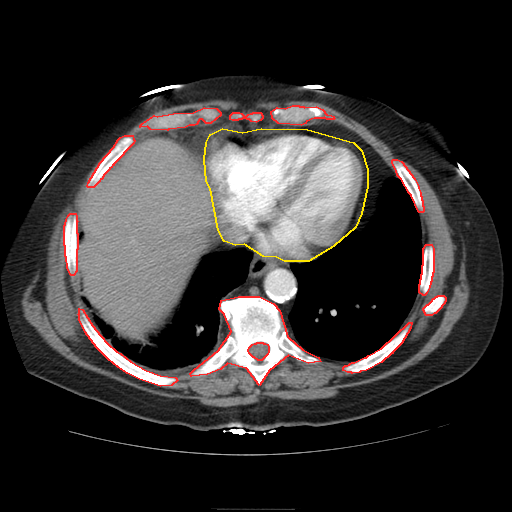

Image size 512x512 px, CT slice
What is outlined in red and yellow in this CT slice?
red: bones; yellow: pericardium.
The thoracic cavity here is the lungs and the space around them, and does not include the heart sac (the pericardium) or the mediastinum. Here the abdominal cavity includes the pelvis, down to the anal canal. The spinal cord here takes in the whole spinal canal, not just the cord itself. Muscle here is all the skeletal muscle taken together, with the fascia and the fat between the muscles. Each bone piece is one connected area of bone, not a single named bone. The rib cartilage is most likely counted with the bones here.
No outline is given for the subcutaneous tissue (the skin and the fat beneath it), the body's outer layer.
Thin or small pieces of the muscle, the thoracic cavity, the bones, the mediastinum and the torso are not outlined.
The bones appear in 11 outlined pieces: piece 1: 238,296 259,296 273,303 279,310 287,336 302,349 318,357 320,361 308,363 288,355 269,370 259,385 246,368 227,363 220,369 207,374 191,376 190,373 194,369 218,350 231,331 224,314 219,309 221,300, around a hole outlined by 257,342 262,342 263,343 265,343 267,344 268,346 268,352 267,354 261,360 258,360 254,357 253,357 249,353 248,351 248,349 249,347 252,344 254,343 256,343; piece 2: 79,308 82,309 92,325 100,335 107,343 116,351 120,353 130,361 146,370 160,375 175,377 177,380 171,385 160,386 139,379 127,373 118,367 108,359 96,347 85,332 79,319 79,315 78,314 79,313; piece 3: 204,107 216,108 220,112 220,115 210,123 206,123 202,119 199,119 196,124 194,125 189,125 185,127 168,129 167,130 150,129 147,126 140,127 140,125 142,123 154,115 157,116 173,113 193,112; piece 4: 292,105 298,105 299,106 303,106 304,107 316,106 322,109 326,114 331,115 333,116 334,118 333,119 327,119 324,117 323,118 314,118 306,121 305,123 301,125 278,123 272,118 271,111 277,107 285,108; piece 5: 409,322 411,322 410,328 401,343 392,352 392,353 391,353 381,362 366,370 360,371 359,372 352,373 351,372 347,372 343,370 343,367 345,365 347,365 352,362 354,362 364,357 366,357 368,355 381,348; piece 6: 124,135 132,135 133,139 134,140 133,143 113,164 113,165 112,165 111,167 109,168 109,169 104,174 101,179 100,179 99,181 93,187 88,187 87,186 88,182 100,162 113,147 118,139 120,137; piece 7: 70,213 75,213 76,215 76,220 77,221 76,222 76,232 77,233 77,249 76,250 76,271 73,275 71,275 70,274 67,267 66,257 65,256 65,246 64,245 64,225 65,224 66,219 68,215; piece 8: 393,159 397,159 401,161 414,178 418,186 418,188 420,192 420,195 421,196 421,199 422,200 422,205 423,206 423,211 422,212 419,212 418,211 411,195 409,193 401,179 397,175 396,170 392,163 392,160; piece 9: 426,244 431,244 433,248 433,272 432,273 432,276 431,277 431,281 430,282 429,287 426,293 424,295 423,295 419,292 419,284 420,283 420,279 421,278 421,274 422,273 422,265 423,264 423,248; piece 10: 438,295 443,295 445,297 445,301 444,302 444,303 441,306 441,307 435,313 434,313 431,315 426,315 425,314 425,313 423,310 423,308 427,304 428,304 432,300 432,299 433,298 434,298 436,296 437,296; piece 11: 233,112 239,112 241,113 245,117 248,114 250,113 252,113 253,112 260,112 262,115 262,118 260,120 256,122 251,121 249,119 247,119 246,118 242,118 241,119 238,119 237,120 232,120 230,119 230,115. The pericardium is outlined by 222,128 242,132 261,128 307,129 353,142 361,150 367,169 367,186 361,213 355,227 333,246 308,261 284,261 276,257 263,256 244,244 235,245 224,241 218,230 210,188 206,181 204,159 206,142 210,134. The torso is outlined by 227,74 274,75 306,88 365,95 407,116 427,119 443,131 453,152 449,159 491,214 503,260 497,326 468,372 362,418 265,431 198,430 157,423 28,372 8,321 1,265 60,155 84,134 140,102 195,79. The spinal cord is outlined by 257,342 262,342 263,343 265,343 267,344 268,346 268,352 267,354 261,360 258,360 254,357 253,357 249,353 248,351 248,349 249,347 252,344 254,343 256,343. The abdominal cavity is outlined by 220,127 227,127 209,134 203,152 205,181 220,237 214,250 199,262 171,322 149,339 151,344 142,347 128,343 90,312 90,304 82,297 76,272 78,242 82,238 78,232 82,208 92,188 110,168 149,134. The muscle is outlined by 212,99 247,106 258,100 322,103 365,126 425,178 462,242 469,286 462,315 435,349 396,373 341,388 331,397 266,396 254,403 221,407 138,389 77,365 42,339 23,316 22,294 47,260 55,219 112,146 87,182 91,191 81,208 77,232 76,213 70,212 65,219 63,245 67,270 71,276 77,273 91,320 79,307 81,327 118,368 144,382 167,387 178,379 162,373 193,369 189,375 197,377 227,364 246,369 259,386 288,356 308,364 319,363 319,357 348,361 342,370 354,374 378,365 402,343 412,322 400,328 418,291 423,296 427,293 434,272 434,248 422,243 419,213 424,211 423,200 411,172 393,158 396,175 369,144 342,125 325,120 306,123 335,118 316,105 277,106 270,111 271,117 263,118 260,111 245,116 233,111 229,118 218,118 221,112 212,106 154,114 139,127 161,130 134,143 132,134 122,135 150,113; inner edge: 438,295 443,295 445,297 445,301 444,302 444,303 441,306 441,307 435,313 434,313 431,315 426,315 425,314 425,313 423,310 423,308 427,304 428,304 432,300 432,299 433,298 434,298 436,296 437,296. The mediastinum appears in 2 outlined pieces: piece 1: 220,118 246,119 254,123 271,118 278,124 295,126 335,123 361,138 395,175 384,180 375,211 362,229 351,230 360,219 368,186 366,159 353,141 296,127 261,127 250,131 227,126 197,131 175,129 210,124; piece 2: 220,238 231,245 244,245 263,257 276,258 284,262 303,262 292,262 289,265 297,280 297,291 294,303 287,316 287,321 283,319 279,308 263,296 238,295 222,299 245,281 253,254 250,250 243,247 215,250. The thoracic cavity appears in 2 outlined pieces: piece 1: 394,176 400,179 418,212 423,246 418,290 411,308 399,330 385,344 366,356 349,361 314,355 288,336 284,323 288,321 298,291 298,280 290,265 315,260 337,244 348,232 361,231 376,211 377,200 385,180; piece 2: 236,248 250,251 252,255 244,281 231,289 219,302 218,309 230,331 217,350 195,368 175,373 153,372 116,350 93,325 91,313 128,344 137,344 142,348 151,345 150,339 172,322 204,256 214,251.